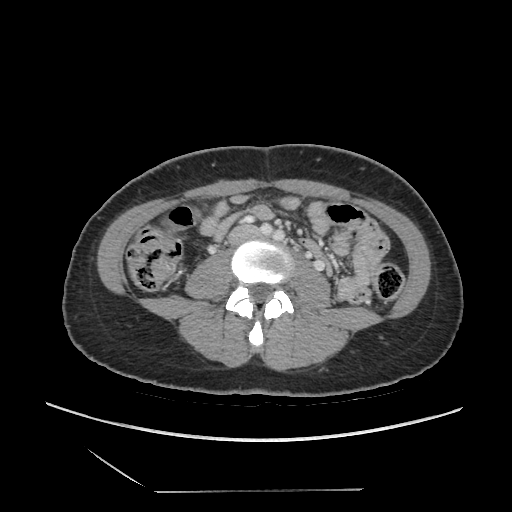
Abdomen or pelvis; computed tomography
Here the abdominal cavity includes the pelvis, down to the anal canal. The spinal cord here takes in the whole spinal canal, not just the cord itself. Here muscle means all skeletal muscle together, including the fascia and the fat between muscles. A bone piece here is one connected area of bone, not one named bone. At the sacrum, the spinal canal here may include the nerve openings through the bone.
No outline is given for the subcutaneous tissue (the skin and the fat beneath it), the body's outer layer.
bones: 254 239; 268 240; 285 246; 293 259; 293 268; 281 284; 293 305; 293 313; 284 312; 278 317; 268 320; 262 318; 263 342; 259 346; 252 345; 248 338; 254 320; 241 316; 225 307; 230 293; 238 284; 230 265; 233 252; 243 242; inner edge: 255 283; 265 283; 266 284; 271 284; 272 285; 274 285; 275 286; 275 288; 272 292; 272 296; 267 301; 266 301; 264 303; 256 303; 252 300; 252 297; 249 293; 249 289; 248 288; 247 285; 248 285; 249 284; 254 284
torso: 287 143; 333 146; 369 157; 404 178; 432 211; 451 248; 463 288; 459 330; 451 347; 434 366; 391 385; 341 395; 216 395; 161 387; 120 375; 89 360; 74 347; 60 308; 66 270; 84 224; 115 191; 147 169; 188 152; 220 146
abdominal cavity: 267 187; 350 202; 396 234; 408 269; 401 292; 385 313; 361 305; 331 306; 325 276; 303 254; 261 238; 206 258; 186 281; 184 291; 189 297; 142 297; 133 291; 124 271; 124 254; 128 241; 146 223; 191 199
muscle: 283 178; 314 180; 361 193; 393 207; 418 226; 429 250; 431 275; 425 294; 409 314; 357 331; 340 351; 304 369; 276 371; 256 357; 239 366; 221 367; 202 359; 166 319; 112 293; 102 283; 97 249; 107 227; 125 210; 216 181 with a hole at 267 187; 350 202; 396 234; 408 269; 385 313; 331 306; 325 276; 295 250; 281 284; 293 313; 262 318; 259 346; 248 338; 254 320; 225 307; 238 284; 230 248; 194 269; 184 286; 189 297; 133 291; 124 254; 146 223; 191 199
spinal cord: 255 283; 265 283; 266 284; 271 284; 272 285; 274 285; 275 286; 275 288; 272 292; 272 296; 267 301; 266 301; 264 303; 256 303; 252 300; 252 297; 249 293; 249 289; 248 288; 247 285; 248 285; 249 284; 254 284